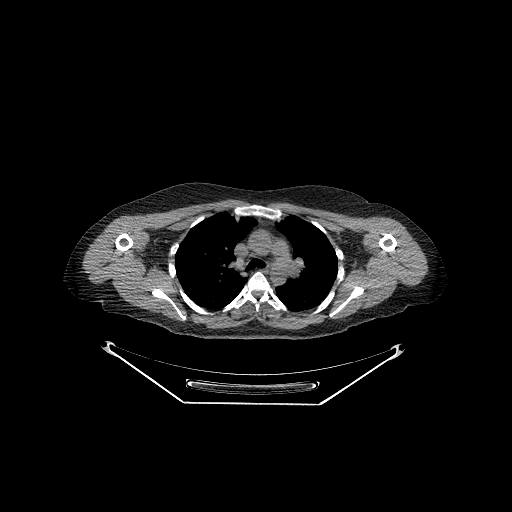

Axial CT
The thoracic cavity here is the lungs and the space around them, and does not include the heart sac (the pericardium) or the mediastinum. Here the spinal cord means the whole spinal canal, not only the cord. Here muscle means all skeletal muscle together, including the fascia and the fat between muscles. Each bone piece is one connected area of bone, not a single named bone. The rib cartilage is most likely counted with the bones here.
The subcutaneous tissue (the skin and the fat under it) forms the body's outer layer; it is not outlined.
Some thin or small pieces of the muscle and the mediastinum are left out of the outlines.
The left arm is outlined by 372,202 384,203 398,209 423,229 435,244 442,259 442,261 449,274 449,285 447,290 433,301 427,304 413,305 412,306 409,306 407,303 386,265 383,262 372,236 371,228 370,227 370,216 369,215 369,206. The mediastinum is outlined by 256,217 262,217 276,222 275,226 277,230 285,236 292,248 291,262 289,265 289,277 282,284 277,285 275,287 272,287 266,276 259,270 255,271 248,277 245,275 234,255 235,246 248,234 256,223. The muscle is outlined by 225,199 251,203 237,205 231,212 198,215 189,224 183,239 175,240 169,247 168,254 174,261 167,262 167,271 171,278 177,278 182,300 201,315 212,316 215,313 212,310 225,313 249,301 256,312 265,302 277,311 313,309 311,316 324,310 334,298 333,284 338,285 345,275 344,265 338,266 344,259 343,250 332,245 328,231 314,218 285,215 278,207 261,204 269,202 288,202 355,217 393,218 420,246 428,271 419,284 398,287 372,307 298,329 272,327 257,320 234,327 209,328 133,306 110,284 93,284 86,278 82,260 93,240 122,215 154,213; inner edges: 344,231 351,231 361,235 361,244 363,248 367,252 367,258 365,261 365,264 361,267 358,267 357,266 353,266 351,268 347,268 346,267 347,254 344,249 340,245 340,243 337,240 337,237 338,236 341,236, then 162,231 166,231 167,232 176,231 177,232 177,235 170,241 169,246 167,248 164,258 165,259 165,264 164,265 162,265 157,260 148,260 145,257 145,254 148,251 147,250 153,239 151,233 152,232 161,232, then 153,288 159,288 161,289 169,297 170,297 171,299 178,307 178,308 186,316 186,319 184,321 183,321 181,319 181,318 179,316 177,312 174,309 172,305 168,301 164,299 159,299 153,296 151,292 151,290, then 356,285 357,286 361,286 362,287 364,287 364,290 362,294 361,294 359,296 355,298 353,298 341,310 340,310 337,313 336,313 332,317 330,317 329,316 329,313 333,310 334,310 349,296 354,286, then 384,233 390,233 391,234 392,234 392,235 395,238 397,244 396,245 396,246 395,247 395,248 393,251 385,251 384,250 383,250 380,247 380,246 379,245 378,242 379,241 379,239 382,236 382,235, then 123,232 125,232 126,233 127,233 131,237 131,238 133,241 133,244 132,245 132,246 128,249 127,249 124,251 121,251 120,250 118,250 116,248 116,246 115,245 115,239 116,238 116,237 119,234 120,234. The thoracic cavity appears in 2 outlined pieces: piece 1: 223,211 231,213 237,222 241,217 255,217 256,221 247,234 237,242 233,249 233,255 235,260 244,275 247,277 246,282 239,292 222,308 210,310 196,303 184,291 177,277 175,255 180,243 190,229 207,217; piece 2: 289,214 298,216 308,221 322,232 333,247 337,259 335,280 326,296 314,308 302,311 289,309 277,296 274,290 274,288 282,285 290,277 291,272 290,265 292,262 293,248 286,236 280,232 276,226 278,222. The bones appear in 14 outlined pieces: piece 1: 257,271 261,272 265,276 271,287 273,288 274,293 287,307 288,311 281,309 277,310 265,301 260,304 258,311 256,311 255,305 249,300 238,308 233,307 225,312 221,311 221,309 240,292 247,282 248,278; inner edge: 255,290 257,290 258,291 262,291 262,294 258,298 257,298 256,297 255,297 252,294 252,292 253,291 254,291; piece 2: 254,203 260,204 261,205 265,205 272,208 278,208 282,211 284,215 282,219 280,221 277,222 274,220 262,216 241,216 239,218 238,221 237,221 235,219 234,215 232,214 233,209 237,206 244,206; piece 3: 356,285 357,286 361,286 362,287 364,287 364,290 362,294 361,294 359,296 355,298 353,298 341,310 340,310 337,313 336,313 332,317 330,317 329,316 329,313 333,310 334,310 349,296 354,286; piece 4: 153,288 159,288 161,289 169,297 170,297 171,299 178,307 178,308 186,316 186,319 184,321 183,321 181,319 181,318 179,316 177,312 174,309 172,305 168,301 164,299 159,299 153,296 151,292 151,290; piece 5: 180,285 183,291 191,300 192,300 199,306 201,307 203,307 207,310 209,310 210,311 213,311 214,313 212,315 208,315 207,314 201,314 193,310 183,300 182,297 180,295 180,293 179,292 179,286; piece 6: 384,233 390,233 391,234 392,234 392,235 395,238 397,244 396,245 396,246 395,247 395,248 393,251 385,251 384,250 383,250 380,247 380,246 379,245 378,242 379,241 379,239 382,236 382,235; piece 7: 123,232 125,232 126,233 127,233 131,237 131,238 133,241 133,244 132,245 132,246 128,249 127,249 124,251 121,251 120,250 118,250 116,248 116,246 115,245 115,239 116,238 116,237 119,234 120,234; piece 8: 333,286 335,286 335,293 334,294 334,296 333,297 333,298 331,300 331,301 329,303 329,304 324,309 323,309 321,311 320,311 315,314 312,314 311,315 310,314 310,313 327,296 328,293 330,291 331,288; piece 9: 341,264 342,264 343,265 343,267 344,268 344,275 343,276 343,278 342,279 342,280 338,284 336,284 336,282 335,281 336,280 336,276 337,275 337,271 338,270 338,267 339,267 341,265; piece 10: 170,260 172,260 172,261 173,262 174,262 174,266 175,267 175,272 176,273 176,276 175,277 171,277 171,276 170,275 170,274 169,273 169,272 168,271 168,262; piece 11: 311,219 314,219 316,221 317,221 327,231 327,236 322,231 321,231 317,227 316,227 313,224 312,224 309,221; piece 12: 202,214 205,214 207,216 204,219 203,219 201,221 200,221 198,223 197,223 194,226 193,226 191,228 190,228 189,229 189,226 190,225 190,224 198,216 199,216 200,215 201,215; piece 13: 175,241 178,241 179,242 179,245 178,246 178,247 177,248 177,250 176,251 176,252 175,253 175,254 174,255 174,256 171,256 169,254 169,253 170,252 170,247 171,246 171,245; piece 14: 334,246 338,246 342,250 342,251 343,252 343,259 341,261 338,261 338,259 337,258 337,256 336,255 336,253 335,252 335,250 334,249. The right arm is outlined by 126,202 128,203 130,207 133,218 133,224 134,225 134,231 137,246 136,250 102,300 101,303 82,300 76,297 69,290 64,287 62,282 62,273 67,263 69,256 77,241 83,233 92,224 113,208. The spinal cord is outlined by 255,290 257,290 258,291 262,291 262,294 258,298 257,298 256,297 255,297 252,294 252,292 253,291 254,291. The torso is outlined by 184,182 209,182 252,190 319,184 345,189 364,197 371,202 368,206 369,227 379,256 408,306 399,313 361,323 343,332 308,339 206,339 175,334 152,323 104,311 101,305 103,300 138,247 134,218 128,202.